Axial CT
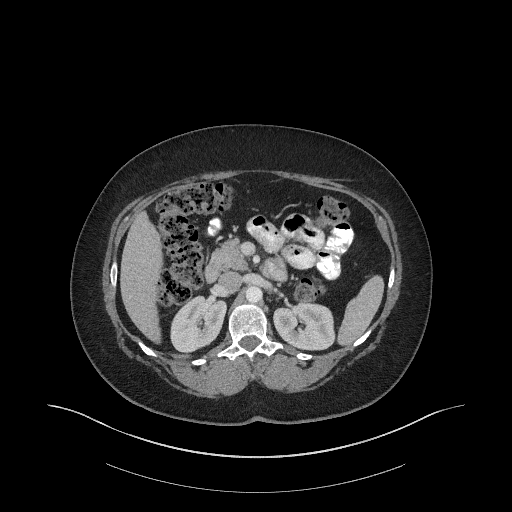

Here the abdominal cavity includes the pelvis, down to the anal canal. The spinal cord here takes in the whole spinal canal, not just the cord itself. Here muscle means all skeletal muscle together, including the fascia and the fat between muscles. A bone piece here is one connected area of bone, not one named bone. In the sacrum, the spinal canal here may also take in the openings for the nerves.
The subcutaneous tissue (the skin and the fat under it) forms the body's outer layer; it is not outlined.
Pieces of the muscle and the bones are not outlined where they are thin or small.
The torso is outlined by 221,426 254,421 293,424 349,414 385,395 417,352 432,297 428,238 398,179 377,158 351,142 310,129 262,123 187,131 125,162 105,184 82,225 72,257 69,299 77,337 93,367 117,393 140,407 170,418. The spinal cord is outlined by 248,350 251,350 253,348 254,348 259,343 259,342 260,341 259,340 259,339 258,339 256,337 255,337 254,336 247,336 246,337 244,337 243,338 242,338 240,340 239,343 241,346 242,346 244,348 245,348. The muscle is outlined by 214,399 235,394 253,381 267,388 285,393 312,390 324,384 345,370 356,360 376,348 386,327 385,320 399,295 402,278 402,262 397,232 390,215 379,203 372,198 329,178 282,170 256,168 204,172 190,175 167,183 148,194 140,195 128,203 119,212 111,225 102,268 102,290 105,309 115,328 118,346 128,357 150,367 162,379 175,388 199,397 with a hole at 194,365 206,362 200,356 228,330 232,342 217,356 245,354 251,362 256,353 270,356 284,344 305,360 363,342 394,279 371,213 344,193 266,173 200,180 138,212 110,268 120,316 146,354 157,356 157,350. The abdominal cavity is outlined by 192,359 223,339 231,310 245,302 264,311 276,340 298,351 319,354 351,344 379,315 387,289 390,255 371,213 344,193 266,173 200,180 160,196 138,212 118,250 116,291 120,316 126,327 154,350 170,357. The bones appear in 5 outlined pieces: piece 1: 251,362 256,353 259,352 270,356 277,349 283,348 283,345 280,342 272,341 267,336 268,321 263,311 258,306 245,303 236,306 228,318 231,344 216,354 217,356 226,356 231,360 234,360 238,355 245,354, around a hole outlined by 248,350 251,350 253,348 254,348 259,343 259,342 260,341 259,340 259,339 258,339 256,337 255,337 254,336 247,336 246,337 244,337 243,338 242,338 240,340 239,343 241,346 242,346 244,348 245,348; piece 2: 114,290 115,290 116,289 116,283 117,282 117,261 116,260 116,259 114,259 113,260 113,261 112,262 112,263 111,264 111,267 110,268 110,280 111,281 111,285 112,286 112,287 113,288 113,289; piece 3: 151,356 157,356 157,354 151,348 150,348 148,346 147,346 141,340 140,340 139,339 138,339 137,340 137,342 138,343 138,344 139,345 139,346 141,348 141,349 146,354 147,354 148,355 150,355; piece 4: 353,346 357,346 358,345 359,345 362,342 363,342 367,338 367,337 370,334 370,333 371,332 371,327 370,327 359,338 358,338 352,344 352,345; piece 5: 388,289 389,289 390,288 391,288 391,287 392,286 392,285 393,284 393,280 394,279 394,268 392,266 391,266 390,267 390,272 389,273 389,277 388,278 388,284 387,285 387,286 388,287.